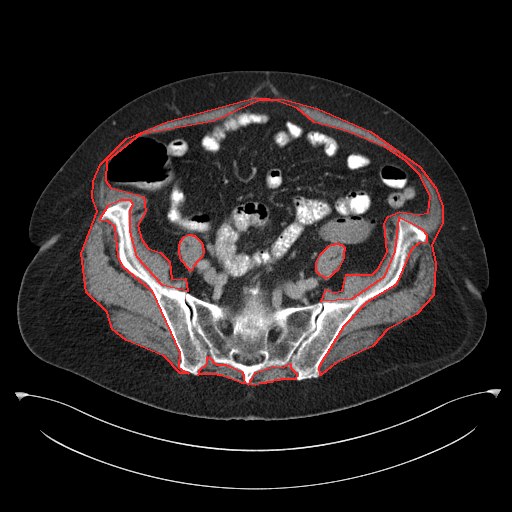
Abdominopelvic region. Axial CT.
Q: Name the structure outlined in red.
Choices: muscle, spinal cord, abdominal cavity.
A: red: muscle.
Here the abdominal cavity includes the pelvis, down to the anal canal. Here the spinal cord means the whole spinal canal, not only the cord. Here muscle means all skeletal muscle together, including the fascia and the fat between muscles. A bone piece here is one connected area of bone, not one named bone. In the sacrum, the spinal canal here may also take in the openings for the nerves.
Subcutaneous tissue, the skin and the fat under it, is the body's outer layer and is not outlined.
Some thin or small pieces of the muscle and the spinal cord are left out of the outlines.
{"muscle":[[[255,97],[284,99],[317,108],[370,131],[419,166],[435,187],[442,206],[442,223],[431,244],[435,263],[433,295],[416,314],[387,329],[372,346],[335,363],[320,375],[319,366],[344,325],[367,301],[397,283],[412,248],[419,242],[427,241],[427,235],[422,229],[398,217],[394,251],[383,277],[351,299],[321,301],[326,289],[334,292],[342,290],[346,274],[372,274],[378,268],[387,252],[384,223],[388,216],[399,211],[419,214],[428,212],[430,196],[420,175],[405,160],[385,147],[347,131],[314,122],[297,108],[275,100],[259,100],[213,121],[140,134],[106,161],[105,180],[110,187],[143,196],[145,211],[137,225],[141,239],[148,248],[160,252],[169,261],[171,279],[185,278],[187,291],[162,285],[137,257],[130,231],[130,209],[133,204],[130,200],[120,200],[107,206],[99,219],[107,220],[114,226],[117,256],[121,265],[151,290],[179,352],[178,367],[188,373],[180,373],[164,356],[126,340],[112,329],[107,312],[86,292],[81,253],[97,211],[92,197],[93,181],[100,164],[126,138],[167,121]],[[335,243],[338,243],[339,244],[341,244],[344,247],[344,250],[343,251],[343,258],[337,270],[336,270],[329,277],[327,278],[325,278],[323,276],[320,275],[316,271],[316,262],[320,254],[329,245],[331,244],[334,244]],[[188,234],[191,234],[192,235],[194,235],[201,242],[202,244],[202,247],[203,248],[203,253],[201,257],[195,263],[195,264],[193,266],[191,270],[189,270],[189,269],[181,260],[180,258],[180,255],[179,254],[179,244],[180,243],[180,241],[184,236]],[[289,363],[290,364],[290,367],[296,373],[295,379],[280,379],[279,380],[274,380],[271,382],[266,382],[265,383],[261,383],[255,385],[248,384],[250,382],[250,380],[252,378],[255,372],[273,366],[283,367]],[[208,356],[212,360],[212,361],[216,364],[225,364],[226,365],[229,365],[241,371],[243,374],[243,379],[245,383],[241,383],[230,378],[228,378],[221,375],[218,375],[217,374],[200,374],[198,375],[200,369],[206,364],[207,362],[207,357]]],"spinal_cord":[[[222,320],[223,320],[224,321],[225,320],[226,320],[227,321],[228,321],[229,322],[230,322],[230,323],[231,324],[231,331],[230,332],[230,333],[229,333],[228,334],[224,334],[221,332],[221,331],[219,328],[219,323],[220,322],[220,321],[221,321]],[[276,326],[279,327],[279,328],[280,329],[280,334],[279,335],[278,338],[277,338],[274,340],[272,340],[271,339],[270,339],[270,338],[269,337],[269,334],[270,333],[270,330],[271,329],[271,328],[272,328],[273,327],[275,327]]],"bones":[{"outer":[[127,200],[134,253],[150,275],[231,314],[244,287],[257,286],[272,311],[362,295],[390,267],[398,218],[426,241],[396,283],[343,325],[317,377],[297,380],[289,362],[246,383],[208,355],[197,375],[180,369],[152,290],[122,265],[115,226],[100,219]],"holes":[[[222,320],[223,320],[224,321],[225,320],[226,320],[227,321],[228,321],[229,322],[230,322],[230,323],[231,324],[231,331],[230,332],[230,333],[229,333],[228,334],[224,334],[221,332],[221,331],[219,328],[219,323],[220,322],[220,321],[221,321]],[[253,356],[254,356],[255,357],[257,357],[260,359],[260,361],[259,361],[256,363],[253,363],[252,364],[245,364],[244,363],[242,363],[241,362],[240,362],[237,360],[237,358],[238,357],[252,357]],[[276,326],[279,327],[279,328],[280,329],[280,334],[279,335],[278,338],[277,338],[274,340],[272,340],[271,339],[270,339],[270,338],[269,337],[269,334],[270,333],[270,330],[271,329],[271,328],[272,328],[273,327],[275,327]]]}],"abdominal_cavity":[{"outer":[[259,101],[392,152],[419,175],[429,205],[388,215],[383,260],[372,273],[346,273],[340,291],[272,310],[257,285],[244,286],[248,295],[231,313],[190,293],[185,277],[170,277],[170,261],[138,229],[146,199],[110,186],[106,163],[137,136],[213,122]],"hole":[[335,243],[338,243],[339,244],[341,244],[344,247],[344,250],[343,251],[343,258],[337,270],[336,270],[329,277],[327,278],[325,278],[323,276],[320,275],[316,271],[316,262],[320,254],[329,245],[331,244],[334,244]]}],"torso":[[[230,70],[292,71],[346,84],[402,115],[441,152],[467,193],[489,270],[482,295],[485,329],[463,359],[346,409],[284,420],[220,420],[135,401],[49,364],[27,348],[16,305],[23,273],[38,249],[28,227],[45,186],[80,143],[124,104],[179,79]]]}